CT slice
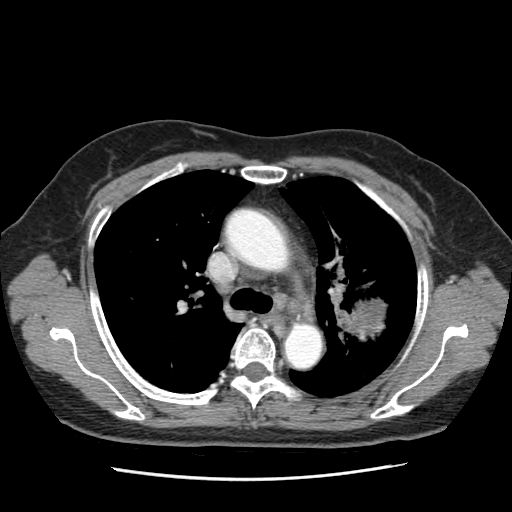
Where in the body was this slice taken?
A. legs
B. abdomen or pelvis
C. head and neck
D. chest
Answer: D. chest
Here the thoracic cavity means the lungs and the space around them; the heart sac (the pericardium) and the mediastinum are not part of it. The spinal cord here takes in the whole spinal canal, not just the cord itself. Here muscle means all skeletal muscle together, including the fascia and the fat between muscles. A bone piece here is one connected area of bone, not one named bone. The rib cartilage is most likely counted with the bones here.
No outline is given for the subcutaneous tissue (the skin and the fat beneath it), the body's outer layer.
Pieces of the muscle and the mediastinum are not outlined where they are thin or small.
{"bones":[{"outer":[[94,280],[119,350],[150,383],[178,393],[206,389],[227,368],[241,330],[256,326],[269,333],[277,357],[283,361],[283,373],[305,394],[289,403],[282,393],[272,390],[254,409],[228,379],[202,405],[143,394],[118,369],[100,338],[89,300],[89,284]],"hole":[[253,362],[257,362],[258,363],[260,363],[262,365],[263,365],[264,366],[264,367],[268,372],[268,373],[265,376],[262,377],[260,379],[259,379],[256,381],[253,381],[252,380],[251,380],[242,372],[242,370],[248,364],[249,364],[250,363],[252,363]]},[[464,323],[468,329],[467,336],[450,337],[445,343],[443,355],[434,370],[398,397],[397,400],[400,404],[416,404],[416,406],[401,415],[380,419],[371,418],[369,414],[387,402],[400,389],[419,378],[432,365],[440,351],[445,329],[448,326],[460,326]],[[52,327],[68,328],[74,336],[77,355],[82,364],[91,372],[107,380],[146,417],[143,420],[134,420],[112,414],[110,410],[121,410],[126,406],[104,382],[86,374],[80,368],[74,358],[73,347],[69,340],[65,338],[55,340],[50,336],[49,331]],[[419,263],[424,264],[427,271],[427,278],[428,279],[428,301],[425,316],[419,333],[416,337],[416,339],[408,354],[401,364],[394,369],[394,366],[403,353],[404,349],[408,344],[411,337],[411,329],[413,325],[416,310],[416,304],[417,303],[417,267]],[[261,163],[265,163],[266,164],[275,164],[284,167],[288,170],[288,174],[282,181],[277,183],[261,184],[260,183],[256,183],[247,180],[240,175],[239,170],[243,166],[246,165],[249,165],[250,164],[260,164]],[[191,159],[203,159],[207,161],[207,163],[205,164],[201,164],[200,165],[194,165],[191,166],[187,168],[182,173],[161,180],[144,189],[139,193],[134,195],[135,192],[149,179],[156,176],[164,170],[170,168],[176,162],[180,160],[190,160]],[[353,178],[367,185],[374,190],[403,220],[403,221],[406,224],[412,236],[412,242],[413,243],[413,245],[412,246],[411,246],[407,238],[406,234],[399,224],[390,215],[383,210],[372,199],[365,194],[351,180]],[[105,205],[112,205],[113,209],[114,210],[101,229],[95,241],[95,244],[94,245],[93,249],[89,250],[88,249],[88,244],[87,242],[88,241],[89,232],[90,231],[90,228],[91,227],[91,224],[92,223],[93,218],[96,213],[103,206]]],"spinal_cord":[[[253,362],[257,362],[258,363],[260,363],[262,365],[263,365],[264,366],[264,367],[268,372],[268,373],[265,376],[262,377],[260,379],[259,379],[256,381],[253,381],[252,380],[251,380],[242,372],[242,370],[248,364],[249,364],[250,363],[252,363]]],"muscle":[{"outer":[[190,150],[231,151],[247,158],[257,158],[266,163],[292,155],[341,156],[363,163],[400,185],[427,214],[433,225],[435,235],[430,237],[428,250],[432,257],[434,284],[438,285],[446,281],[451,284],[455,283],[467,270],[474,268],[477,263],[483,263],[491,269],[508,293],[501,329],[485,368],[475,373],[472,377],[444,388],[426,403],[416,408],[416,403],[399,402],[398,399],[404,392],[419,384],[435,370],[444,355],[446,343],[450,338],[455,336],[466,338],[468,336],[469,329],[465,322],[460,325],[448,325],[442,332],[439,351],[431,365],[419,377],[400,388],[387,401],[368,414],[373,420],[398,416],[388,421],[377,421],[364,427],[332,431],[287,429],[274,426],[247,429],[229,426],[175,428],[145,426],[116,418],[91,401],[84,399],[80,393],[68,384],[59,381],[55,376],[37,367],[27,357],[11,322],[7,294],[9,282],[35,256],[47,253],[55,261],[57,268],[63,272],[67,282],[78,285],[80,250],[85,232],[85,226],[81,224],[81,220],[94,194],[106,183],[131,169],[169,154]],"holes":[[[191,159],[207,163],[186,171],[238,172],[250,164],[275,164],[286,168],[288,177],[329,174],[354,178],[374,190],[406,224],[415,265],[422,263],[427,271],[425,316],[401,364],[394,366],[410,331],[390,363],[360,388],[335,396],[306,392],[293,403],[272,390],[254,409],[228,379],[202,405],[154,399],[134,386],[110,357],[92,315],[89,284],[96,279],[94,250],[87,243],[91,224],[103,206],[116,210],[149,179]],[[52,327],[68,328],[74,336],[77,355],[82,364],[91,372],[107,380],[146,417],[143,420],[134,420],[112,414],[110,410],[121,410],[126,406],[104,382],[86,374],[80,368],[74,358],[73,347],[69,340],[65,338],[55,340],[50,336],[49,331]]]}],"torso":[[[166,118],[267,136],[337,127],[370,130],[437,163],[475,193],[511,239],[508,297],[487,365],[443,430],[419,439],[344,448],[185,447],[100,439],[74,431],[58,419],[30,377],[12,335],[0,273],[1,232],[22,214],[62,163],[81,146],[124,125]]],"thoracic_cavity":[[[203,168],[233,168],[252,183],[223,217],[203,272],[207,283],[219,296],[225,316],[233,322],[243,323],[243,326],[230,349],[226,368],[218,378],[202,390],[178,392],[144,378],[120,350],[102,308],[95,278],[94,248],[113,212],[130,198],[185,171]],[[299,172],[329,174],[351,181],[398,224],[411,247],[416,266],[415,310],[403,345],[373,379],[354,391],[335,396],[308,393],[292,383],[284,373],[287,374],[290,370],[309,372],[326,352],[326,340],[315,308],[318,249],[307,224],[281,194],[290,177]]],"mediastinum":[[[287,177],[288,183],[280,194],[306,224],[317,249],[314,308],[325,340],[325,352],[311,370],[290,369],[286,373],[284,361],[278,357],[276,343],[266,328],[251,325],[242,329],[243,322],[229,319],[220,296],[204,272],[224,217],[253,183],[277,184]]]}